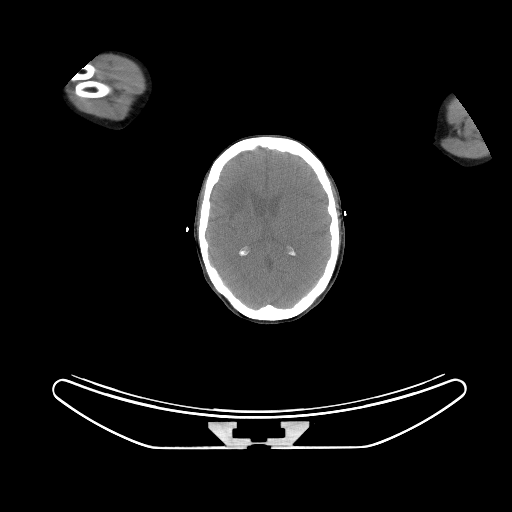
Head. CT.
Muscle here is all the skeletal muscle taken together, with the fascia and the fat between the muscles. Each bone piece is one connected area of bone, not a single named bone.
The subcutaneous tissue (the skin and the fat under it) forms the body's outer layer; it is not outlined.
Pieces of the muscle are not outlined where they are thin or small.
{"brain":[[[259,147],[285,152],[301,158],[315,174],[327,199],[329,254],[323,270],[314,284],[303,295],[292,305],[285,307],[271,303],[252,307],[236,296],[212,264],[209,255],[209,243],[206,237],[211,211],[211,194],[220,179],[224,166],[240,153],[254,151]]],"muscle":[[[109,53],[135,62],[145,82],[143,91],[135,98],[127,114],[120,120],[100,118],[79,110],[68,99],[66,90],[63,88],[71,80],[75,82],[73,92],[78,97],[102,98],[110,94],[113,90],[108,84],[92,79],[96,68],[89,62],[99,54]],[[456,98],[461,106],[465,111],[467,112],[471,118],[488,150],[487,152],[488,154],[482,158],[461,158],[455,156],[453,154],[448,152],[441,145],[441,139],[448,133],[448,130],[450,127],[446,121],[446,108],[447,107],[447,104],[451,99],[455,99]],[[331,180],[336,191],[336,195],[337,196],[337,203],[338,204],[338,210],[339,211],[339,217],[340,218],[340,230],[341,231],[341,234],[340,235],[340,227],[339,226],[339,213],[336,207],[336,201],[335,200],[334,194],[333,193],[333,190],[332,189]]],"left_arm":[[[449,92],[452,93],[455,96],[456,99],[465,111],[467,112],[473,123],[477,128],[489,152],[489,154],[491,156],[491,160],[487,164],[478,167],[464,167],[461,166],[442,154],[432,144],[433,134],[436,124],[436,113],[437,112],[437,109],[442,98]]],"head":[[[271,133],[287,135],[307,145],[332,175],[339,191],[341,207],[345,212],[345,248],[337,278],[315,308],[293,322],[262,325],[236,316],[214,294],[203,277],[192,243],[194,241],[193,223],[196,199],[204,174],[212,162],[227,146],[239,138],[252,134]]],"right_arm":[[[105,50],[119,50],[129,53],[137,57],[147,66],[151,74],[153,82],[152,93],[149,101],[144,109],[128,125],[118,130],[113,130],[105,128],[102,126],[92,123],[76,115],[68,109],[61,97],[62,89],[78,72],[78,70],[80,70],[92,59]]],"bones":[{"outer":[[263,135],[283,136],[295,139],[311,150],[323,163],[330,180],[335,207],[338,213],[340,236],[337,260],[325,289],[300,313],[289,318],[277,320],[248,317],[234,308],[215,289],[207,274],[201,256],[197,230],[204,183],[212,162],[231,144],[244,138]],"hole":[[259,147],[285,152],[301,158],[315,174],[327,199],[329,254],[323,270],[314,284],[303,295],[292,305],[285,307],[271,303],[252,307],[236,296],[212,264],[209,255],[209,243],[206,237],[211,211],[211,194],[220,179],[224,166],[240,153],[254,151]]},[[88,63],[92,65],[95,68],[95,71],[91,77],[91,79],[99,82],[102,82],[108,85],[111,88],[112,90],[111,92],[107,95],[102,97],[81,97],[75,94],[74,92],[74,87],[76,82],[71,79],[78,72],[78,70],[80,70]]]}